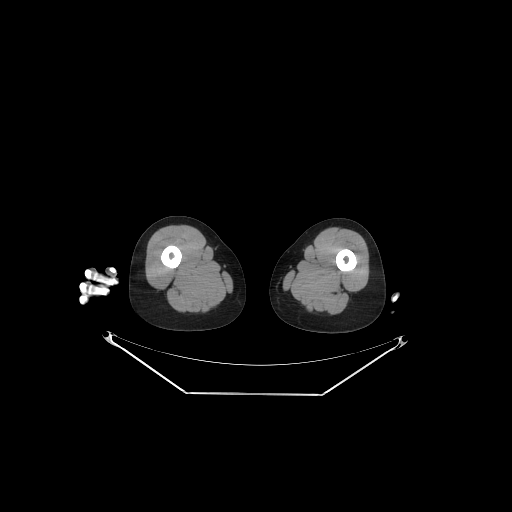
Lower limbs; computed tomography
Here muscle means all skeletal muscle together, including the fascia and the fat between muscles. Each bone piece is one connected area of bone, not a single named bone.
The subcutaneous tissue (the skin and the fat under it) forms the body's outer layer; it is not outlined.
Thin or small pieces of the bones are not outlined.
{"left_leg":[[[332,217],[345,217],[353,219],[363,225],[369,231],[379,249],[386,281],[386,300],[380,315],[375,321],[368,326],[348,333],[336,334],[318,333],[306,331],[289,325],[276,315],[270,304],[268,294],[269,282],[273,268],[282,253],[308,227],[319,221]]],"left_arm":[[[396,292],[399,292],[401,294],[401,296],[395,302],[393,302],[391,300],[391,297]]],"bones":[[[86,269],[89,269],[94,272],[95,271],[106,277],[113,277],[116,281],[108,287],[109,291],[106,294],[91,295],[85,303],[81,303],[79,300],[81,295],[80,283],[91,283],[97,286],[104,284],[102,282],[86,277]],[[340,248],[348,248],[350,249],[356,255],[356,258],[357,259],[357,263],[355,267],[352,270],[350,271],[346,271],[344,272],[340,270],[337,267],[336,265],[336,263],[335,262],[335,256],[338,250]],[[169,244],[173,244],[174,245],[176,245],[178,246],[182,253],[182,257],[181,258],[181,261],[180,263],[175,268],[169,268],[167,267],[162,263],[160,259],[160,255],[161,254],[161,252],[162,250],[167,245]]],"right_arm":[[[91,266],[95,267],[101,272],[106,267],[113,268],[116,274],[115,278],[116,281],[108,287],[109,291],[106,294],[104,295],[102,294],[91,295],[85,303],[81,303],[79,300],[79,298],[81,295],[80,283],[85,281],[86,279],[85,270],[88,267]]],"right_leg":[[[169,215],[191,216],[204,222],[217,233],[220,238],[234,252],[239,260],[246,283],[246,301],[241,313],[230,323],[215,329],[203,331],[174,331],[158,328],[147,323],[141,319],[132,309],[128,298],[128,274],[134,246],[140,235],[149,225],[158,219]]],"muscle":[{"outer":[[172,224],[187,224],[197,228],[204,235],[208,243],[214,248],[214,253],[216,257],[225,265],[233,280],[232,293],[228,294],[217,307],[207,313],[190,315],[177,313],[166,305],[166,302],[156,293],[146,280],[145,255],[147,242],[156,230],[161,227]],"hole":[[169,244],[173,244],[174,245],[176,245],[178,246],[182,253],[182,257],[181,258],[181,261],[180,263],[175,268],[169,268],[167,267],[162,263],[160,259],[160,255],[161,254],[161,252],[162,250],[167,245]]},{"outer":[[332,226],[338,226],[354,230],[363,237],[368,247],[370,272],[366,286],[355,294],[347,308],[341,314],[331,317],[324,317],[306,312],[295,300],[282,289],[282,281],[285,274],[295,266],[303,252],[303,249],[307,245],[312,243],[319,232],[325,228]],"hole":[[340,248],[348,248],[350,249],[356,255],[356,258],[357,259],[357,263],[355,267],[352,270],[350,271],[346,271],[344,272],[340,270],[337,267],[336,265],[336,263],[335,262],[335,256],[338,250]]}]}